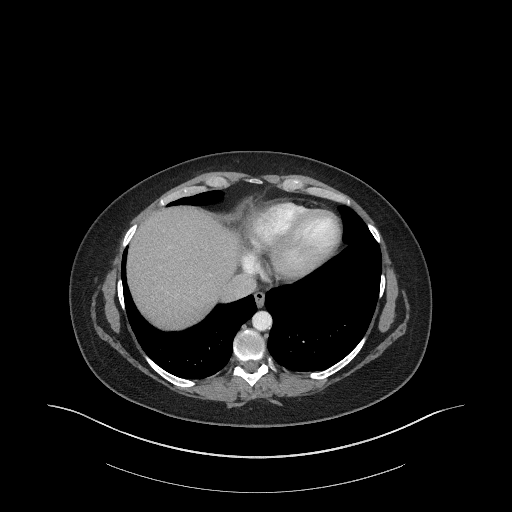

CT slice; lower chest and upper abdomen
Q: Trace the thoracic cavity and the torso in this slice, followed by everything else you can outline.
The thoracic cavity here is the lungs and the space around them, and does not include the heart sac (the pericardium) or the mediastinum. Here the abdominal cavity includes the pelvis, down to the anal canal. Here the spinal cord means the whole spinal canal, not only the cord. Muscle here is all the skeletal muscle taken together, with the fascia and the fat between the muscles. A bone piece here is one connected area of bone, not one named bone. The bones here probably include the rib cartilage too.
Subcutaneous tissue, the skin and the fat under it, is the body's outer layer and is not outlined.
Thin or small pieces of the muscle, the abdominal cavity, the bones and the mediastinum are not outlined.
A: {"thoracic_cavity":[[[294,371],[321,370],[347,354],[365,333],[378,299],[381,272],[379,244],[361,218],[345,205],[340,205],[338,209],[343,222],[342,240],[346,246],[337,255],[305,277],[291,284],[274,287],[265,296],[266,308],[273,318],[266,343],[267,351],[277,364]],[[190,379],[212,375],[227,365],[232,356],[235,334],[256,310],[253,297],[248,295],[230,303],[218,304],[203,320],[185,330],[160,331],[141,316],[131,299],[125,277],[126,247],[122,255],[121,279],[126,313],[132,329],[142,348],[154,361],[169,372]],[[167,205],[175,205],[176,204],[181,204],[182,203],[183,204],[191,204],[192,205],[210,205],[211,204],[214,204],[215,203],[220,202],[224,197],[224,193],[222,190],[213,190],[212,189],[192,196],[180,198],[177,200],[170,202]]],"torso":[[[236,427],[312,423],[368,407],[411,378],[427,347],[432,316],[431,281],[411,229],[371,185],[344,169],[308,156],[272,150],[229,150],[161,169],[128,188],[96,217],[72,263],[68,288],[70,319],[80,352],[93,374],[116,394],[146,408],[188,421]]],"muscle":[[[229,408],[241,406],[256,398],[265,398],[281,405],[279,399],[282,397],[304,396],[319,392],[379,356],[405,333],[409,318],[409,306],[404,291],[398,287],[392,259],[381,233],[382,272],[386,275],[386,286],[383,296],[377,302],[365,334],[367,340],[358,354],[342,369],[322,380],[311,379],[308,376],[309,372],[294,372],[277,365],[276,372],[269,370],[252,387],[242,378],[232,375],[229,370],[233,365],[231,359],[221,371],[212,376],[194,380],[196,384],[188,388],[173,385],[149,366],[142,356],[144,351],[117,298],[116,281],[120,277],[122,238],[130,225],[134,223],[139,225],[154,209],[159,207],[158,200],[162,196],[182,186],[201,183],[210,175],[222,175],[231,184],[256,176],[264,183],[274,186],[284,178],[297,177],[307,185],[317,185],[345,194],[351,200],[351,207],[362,219],[377,227],[368,213],[355,200],[312,177],[301,174],[260,174],[254,176],[237,171],[209,171],[172,187],[129,222],[119,239],[104,279],[92,296],[91,317],[96,333],[132,365],[180,394],[199,399],[223,401]]],"pericardium":[[[270,284],[294,282],[337,253],[341,245],[342,224],[339,216],[333,209],[326,204],[313,200],[293,196],[267,194],[252,197],[252,201],[242,208],[242,211],[236,220],[236,227],[233,231],[233,247],[238,257],[238,262],[244,273],[258,277],[264,282]]],"spinal_cord":[[[248,372],[252,372],[253,371],[254,371],[257,368],[257,367],[258,366],[258,362],[257,361],[254,361],[253,360],[249,360],[248,361],[246,361],[245,362],[244,362],[243,363],[243,367],[244,368],[244,369],[246,371],[247,371]]],"mediastinum":[[[341,219],[337,209],[337,207],[341,204],[304,193],[286,192],[267,184],[255,185],[245,182],[240,182],[222,189],[225,193],[225,198],[226,197],[228,200],[228,207],[232,207],[235,205],[245,195],[254,193],[293,195],[326,203],[336,211]],[[266,342],[272,324],[272,318],[265,308],[264,296],[266,292],[272,287],[284,284],[270,285],[267,283],[264,283],[258,278],[252,277],[259,283],[255,292],[248,294],[253,295],[257,310],[252,317],[241,326],[238,331],[247,327],[253,328],[262,335]]],"abdominal_cavity":[[[164,331],[190,327],[203,319],[218,303],[230,302],[254,292],[258,282],[241,272],[232,247],[232,231],[241,208],[251,201],[252,196],[260,194],[245,196],[232,208],[227,207],[226,198],[210,206],[162,206],[138,226],[127,246],[127,283],[142,316]]],"bones":[{"outer":[[250,386],[252,386],[269,369],[276,371],[277,368],[275,362],[266,351],[266,344],[261,335],[255,330],[247,328],[238,332],[234,338],[233,358],[232,359],[234,362],[234,365],[231,369],[230,368],[230,370],[231,369],[232,370],[233,375],[242,377]],"hole":[[248,372],[252,372],[253,371],[254,371],[257,368],[257,367],[258,366],[258,362],[257,361],[254,361],[253,360],[249,360],[248,361],[246,361],[245,362],[244,362],[243,363],[243,367],[244,368],[244,369],[246,371],[247,371]]},[[349,206],[350,206],[351,204],[350,200],[349,198],[345,195],[341,193],[337,193],[334,191],[325,188],[318,187],[317,186],[307,186],[302,180],[297,178],[288,178],[287,179],[284,179],[277,185],[277,187],[286,191],[301,190],[305,193],[327,198]],[[160,206],[165,205],[170,201],[177,199],[180,197],[188,196],[189,195],[192,195],[199,192],[208,190],[210,187],[213,189],[221,189],[229,186],[230,184],[228,180],[222,176],[210,176],[207,177],[201,184],[182,187],[162,197],[159,200],[159,205]],[[314,379],[322,379],[323,378],[325,378],[333,374],[347,364],[361,349],[366,340],[366,335],[364,335],[356,346],[347,355],[346,355],[341,360],[335,364],[321,371],[318,371],[317,372],[310,372],[309,373],[309,376],[311,378],[313,378]],[[182,387],[193,386],[195,384],[195,382],[193,380],[181,378],[169,373],[167,371],[160,367],[145,353],[143,354],[143,356],[146,361],[156,372],[157,372],[162,377],[163,377],[168,381],[171,382],[173,384],[177,385],[178,386],[181,386]],[[123,248],[124,248],[127,245],[127,244],[131,239],[131,238],[132,237],[132,236],[137,227],[137,225],[136,224],[134,224],[133,225],[130,226],[126,231],[126,232],[125,233],[125,235],[123,238],[123,241],[122,242],[122,246],[123,247]],[[125,311],[125,306],[124,305],[124,302],[123,301],[123,292],[122,291],[122,285],[121,284],[121,280],[120,279],[120,278],[119,278],[117,281],[117,293],[118,294],[118,298],[119,299],[119,302],[121,305],[121,307],[122,308],[122,309]],[[378,243],[379,243],[380,242],[380,235],[379,234],[379,232],[378,231],[377,228],[374,225],[373,225],[370,223],[367,223],[367,226],[368,227],[368,228],[370,230],[370,231],[371,232],[372,235],[374,237],[374,238]],[[379,298],[380,298],[382,296],[382,295],[383,294],[383,291],[384,290],[384,287],[385,286],[385,275],[383,273],[381,273],[381,279],[380,280],[380,287],[379,288],[379,295],[378,296],[379,297]]]}